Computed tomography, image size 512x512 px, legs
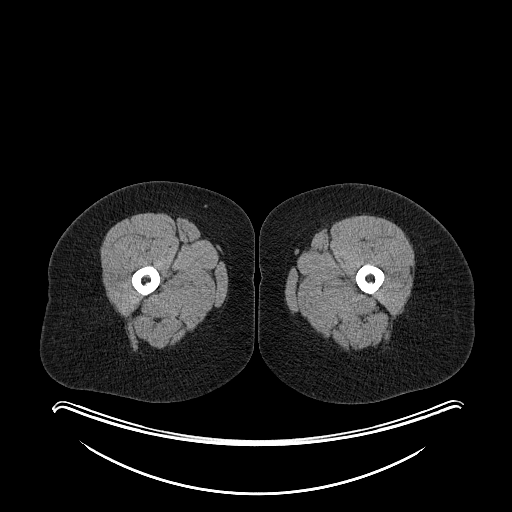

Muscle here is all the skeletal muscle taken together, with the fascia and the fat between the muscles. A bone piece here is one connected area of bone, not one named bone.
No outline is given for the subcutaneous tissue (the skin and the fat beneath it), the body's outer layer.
The bones appear in 2 outlined pieces: piece 1: [[366,263],[369,263],[370,264],[372,264],[380,268],[382,270],[384,274],[384,279],[383,280],[382,284],[379,287],[379,288],[372,294],[369,294],[368,293],[366,293],[362,291],[357,285],[356,281],[355,280],[355,275],[358,269],[361,266],[362,266]]; piece 2: [[146,265],[152,265],[158,271],[159,273],[159,275],[160,276],[160,280],[159,281],[159,284],[158,286],[152,292],[144,296],[140,293],[139,293],[134,288],[131,282],[131,277],[133,273],[137,269],[143,266],[145,266]]. The right leg is outlined by [[151,180],[182,182],[213,190],[237,203],[250,219],[255,238],[253,276],[255,318],[252,355],[245,367],[232,379],[208,393],[183,401],[154,403],[66,387],[48,375],[39,356],[40,332],[47,302],[47,269],[52,250],[70,223],[95,201],[121,187]]. The left leg is outlined by [[346,182],[384,187],[398,192],[422,206],[453,236],[463,252],[474,281],[475,337],[470,355],[464,365],[454,375],[439,384],[381,401],[362,404],[325,402],[294,390],[270,371],[261,357],[258,345],[259,233],[264,219],[275,206],[287,198],[317,187]]. The muscle appears in 2 outlined pieces: piece 1: [[356,212],[368,212],[393,219],[400,226],[409,239],[414,251],[415,272],[412,291],[408,303],[396,328],[394,349],[380,358],[362,358],[352,356],[332,345],[316,333],[302,328],[293,319],[283,296],[283,287],[285,283],[286,273],[312,236],[327,222]], around a hole outlined by [[366,263],[369,263],[370,264],[372,264],[380,268],[382,270],[384,274],[384,279],[383,280],[382,284],[379,287],[379,288],[372,294],[369,294],[368,293],[366,293],[362,291],[357,285],[356,281],[355,280],[355,275],[358,269],[361,266],[362,266]]; piece 2: [[143,212],[164,212],[168,214],[187,215],[218,241],[226,255],[228,299],[221,314],[215,320],[182,344],[152,355],[133,356],[130,355],[123,346],[124,342],[122,330],[118,321],[118,314],[105,294],[101,276],[99,251],[105,234],[115,223],[125,217]], around a hole outlined by [[146,265],[152,265],[158,271],[159,273],[159,275],[160,276],[160,280],[159,281],[159,284],[158,286],[152,292],[144,296],[140,293],[139,293],[134,288],[131,282],[131,277],[133,273],[137,269],[143,266],[145,266]].